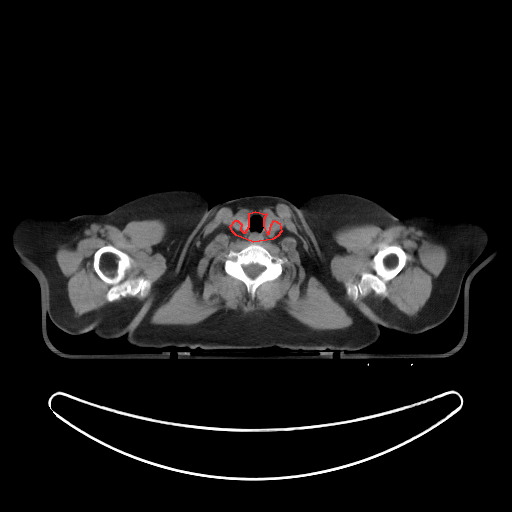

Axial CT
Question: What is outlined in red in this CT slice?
Answer: red: middle of the neck.
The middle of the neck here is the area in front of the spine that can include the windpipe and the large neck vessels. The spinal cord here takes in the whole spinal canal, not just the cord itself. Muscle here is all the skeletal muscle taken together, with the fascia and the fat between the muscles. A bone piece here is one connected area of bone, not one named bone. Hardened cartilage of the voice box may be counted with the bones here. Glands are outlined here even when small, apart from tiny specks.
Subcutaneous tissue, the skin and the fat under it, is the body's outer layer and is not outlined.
{"middle_of_the_neck":[[[255,211],[266,214],[263,219],[263,226],[267,234],[269,233],[271,224],[274,220],[279,223],[281,231],[277,236],[272,239],[253,242],[236,235],[232,231],[230,226],[235,220],[237,220],[241,224],[240,229],[243,232],[245,232],[249,226],[249,213]]],"torso":[[[329,192],[355,194],[376,202],[370,208],[361,231],[360,267],[362,277],[376,306],[395,325],[413,334],[381,326],[379,338],[367,347],[318,350],[293,350],[279,347],[296,331],[305,309],[313,297],[315,289],[314,243],[297,206],[304,198],[310,195]],[[173,189],[200,192],[207,197],[211,207],[203,220],[195,227],[182,255],[179,285],[181,297],[194,327],[216,349],[186,346],[139,347],[128,343],[124,335],[111,339],[98,336],[123,318],[137,299],[144,279],[141,238],[135,222],[122,204],[148,193]]],"spinal_cord":[[[249,264],[258,264],[259,265],[260,265],[261,266],[263,266],[264,267],[264,269],[259,274],[258,274],[255,277],[251,277],[250,276],[249,276],[245,272],[245,271],[244,270],[244,269],[243,268],[243,266],[244,266],[245,265],[248,265]]],"muscle":[{"outer":[[277,203],[295,212],[322,269],[339,248],[333,233],[343,227],[369,223],[384,229],[400,224],[438,240],[447,249],[448,259],[415,316],[374,299],[369,302],[374,319],[360,314],[351,325],[339,329],[311,328],[278,307],[246,314],[221,309],[189,325],[153,324],[147,318],[138,322],[127,299],[75,316],[55,252],[92,224],[122,228],[132,220],[164,221],[167,231],[160,245],[169,268],[179,276],[214,212],[222,207]],"holes":[[[255,211],[270,214],[281,227],[277,236],[257,243],[273,256],[285,257],[286,261],[282,264],[281,274],[273,280],[260,284],[256,288],[254,296],[251,297],[241,280],[225,272],[224,253],[230,250],[239,251],[253,242],[236,235],[230,226],[238,213]],[[105,245],[112,245],[128,254],[133,259],[131,271],[137,276],[148,278],[152,280],[151,287],[146,296],[142,297],[137,294],[134,296],[121,297],[111,302],[107,300],[106,295],[111,285],[103,281],[98,276],[93,267],[94,253],[99,248]],[[386,245],[398,245],[404,250],[408,255],[405,265],[394,277],[386,282],[387,294],[385,296],[377,295],[371,291],[367,295],[360,295],[354,300],[346,294],[344,284],[347,282],[356,283],[359,281],[362,272],[370,271],[369,264],[373,256],[380,246]]]}],"bones":[[[105,245],[112,245],[128,254],[133,259],[131,271],[137,276],[148,278],[152,280],[151,287],[146,296],[142,297],[137,294],[134,296],[121,297],[111,302],[107,300],[106,295],[111,285],[103,281],[98,276],[93,267],[94,253],[99,248]],[[386,245],[398,245],[404,250],[408,255],[405,265],[394,277],[386,282],[387,294],[385,296],[377,295],[371,291],[367,295],[360,295],[354,300],[346,294],[344,284],[347,282],[356,283],[359,281],[362,272],[370,271],[369,264],[373,256],[380,246]],{"outer":[[250,243],[257,243],[263,246],[273,256],[286,258],[286,261],[282,264],[281,274],[273,280],[265,281],[260,284],[256,288],[253,297],[251,297],[245,284],[241,280],[228,275],[224,270],[224,264],[226,259],[224,253],[227,253],[230,250],[239,251]],"hole":[[249,264],[258,264],[259,265],[260,265],[261,266],[263,266],[264,267],[264,269],[259,274],[258,274],[255,277],[251,277],[250,276],[249,276],[245,272],[245,271],[244,270],[244,269],[243,268],[243,266],[244,266],[245,265],[248,265]]}],"head_and_neck":[[[253,195],[278,196],[296,205],[302,222],[306,225],[313,243],[314,289],[312,297],[306,305],[295,331],[280,345],[259,348],[217,349],[197,330],[190,318],[187,305],[182,297],[180,285],[182,258],[196,227],[204,220],[205,215],[213,206],[228,200]]],"left_arm":[[[376,203],[381,205],[398,218],[409,215],[427,215],[443,219],[471,220],[481,224],[487,231],[487,246],[464,276],[458,299],[452,312],[442,323],[421,333],[411,333],[395,324],[377,306],[363,277],[361,267],[362,231],[366,218],[371,208]]],"thyroid_glands":[[[240,212],[247,212],[248,213],[248,215],[249,216],[249,220],[248,221],[248,226],[247,227],[247,228],[245,231],[243,231],[241,229],[241,228],[242,227],[242,224],[237,219],[236,219],[236,216],[237,215],[237,214]],[[267,214],[270,214],[273,217],[273,220],[271,222],[271,223],[270,224],[270,226],[269,227],[269,230],[268,231],[268,233],[267,233],[266,232],[266,231],[265,230],[265,227],[264,226],[264,219],[265,218],[265,217],[266,216],[266,215]]],"right_arm":[[[120,205],[134,222],[140,238],[143,259],[143,279],[140,289],[136,299],[122,318],[99,335],[92,331],[80,335],[69,334],[52,322],[46,301],[46,282],[36,266],[14,251],[12,231],[20,220],[28,216],[40,215],[68,219],[80,214],[104,214]]]}